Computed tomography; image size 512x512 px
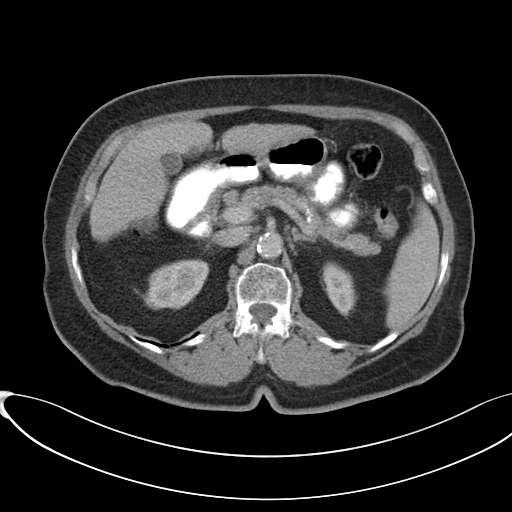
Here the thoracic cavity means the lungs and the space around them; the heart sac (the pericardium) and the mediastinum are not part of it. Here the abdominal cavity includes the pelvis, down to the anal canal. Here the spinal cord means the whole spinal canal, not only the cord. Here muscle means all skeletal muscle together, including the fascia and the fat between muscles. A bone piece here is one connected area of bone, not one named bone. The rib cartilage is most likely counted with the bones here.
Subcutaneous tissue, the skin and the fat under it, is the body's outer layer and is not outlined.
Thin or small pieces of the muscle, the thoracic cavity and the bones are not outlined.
Outlines (x, y in pixels):
muscle: 270,104 323,104 324,105 336,105 337,106 347,106 348,105 349,106 359,106 364,108 371,108 379,111 386,112 395,115 404,120 425,143 425,145 436,166 438,176 445,196 445,199 452,215 452,218 454,222 454,232 455,233 455,251 451,263 450,278 444,289 439,302 429,317 425,327 420,334 410,338 381,358 354,371 335,383 329,385 318,386 315,388 308,388 307,387 297,386 293,383 286,382 276,377 271,371 270,368 266,365 257,364 243,380 236,383 230,383 227,386 223,387 222,386 201,386 197,385 194,383 186,381 170,373 147,358 140,355 129,347 112,339 100,329 97,323 90,316 86,309 82,305 73,289 69,277 68,268 64,255 65,253 64,249 65,224 81,176 101,143 114,130 124,125 131,124 142,119 145,119 148,117 155,116 163,113 169,113 170,112 188,110 189,109 225,106 226,105 269,105 with holes at 252,109 365,120 398,136 397,123 413,137 409,147 420,147 429,170 419,172 437,195 448,264 423,307 374,352 356,341 336,349 317,340 328,334 302,311 297,277 289,309 301,325 291,325 288,337 235,337 229,280 227,310 199,332 206,333 203,341 161,346 162,353 134,342 78,281 71,247 79,250 86,187 90,179 94,193 117,151 153,126 and at 118,136 119,136 120,137 120,138 119,139 119,141 118,142 117,145 111,152 111,154 107,158 106,158 105,159 102,159 102,155 103,154 103,152 106,148 106,147 112,141 112,140 113,140 116,137 117,137 and at 261,343 262,343 262,350 263,351 263,354 264,355 264,358 265,359 265,362 264,363 259,363 257,361 257,360 256,359 256,358 257,357 257,354 258,353 258,349 259,348 259,346 260,345 260,344
bones 1: 257,262 281,267 291,282 292,293 289,309 292,317 299,321 301,325 291,325 288,330 289,336 286,338 277,334 263,339 250,333 243,333 237,337 233,335 235,324 233,314 237,308 234,291 235,284 242,271 with a hole at 254,304 268,304 269,305 271,305 272,306 273,306 276,309 276,312 269,319 269,321 267,321 264,323 260,323 259,322 258,322 257,321 254,320 254,317 249,310 250,307 252,305 253,305
bones 2: 416,144 417,144 420,147 420,148 424,155 425,160 427,162 427,163 429,166 429,170 428,171 421,171 420,170 419,170 416,167 416,165 415,164 415,157 414,156 414,152 413,151 413,148 415,146 415,145
bones 3: 394,331 398,331 399,333 398,335 395,338 395,339 393,340 390,343 376,350 374,352 368,352 367,351 367,350 371,346 372,346 374,344 375,344 377,342 378,342 380,340 384,338 387,335 388,335 390,333
bones 4: 316,335 321,335 322,336 328,336 329,337 332,338 336,341 344,341 345,342 347,342 348,343 348,345 343,348 340,348 339,349 336,349 335,348 332,348 330,346 329,346 328,345 317,340 317,339 316,338
bones 5: 442,251 447,251 448,253 448,264 447,265 447,268 445,271 445,273 444,274 444,276 443,277 443,279 442,280 441,284 436,289 435,289 435,287 438,280 439,273 440,272 440,259 441,258 441,253
bones 6: 128,333 130,333 132,335 133,335 135,337 139,339 142,339 146,341 149,341 151,343 153,343 155,345 157,345 162,349 163,352 162,353 157,353 145,347 143,347 137,344 135,342 134,342 128,336
bones 7: 72,246 74,246 77,251 78,262 79,263 79,266 81,270 81,275 82,276 82,279 83,280 83,283 82,284 81,284 78,281 77,277 76,276 76,274 74,271 74,268 72,265 72,260 71,259 71,247
bones 8: 424,182 429,182 432,185 432,186 434,188 434,189 436,192 436,194 437,195 437,201 436,202 436,203 434,205 433,204 430,203 426,199 426,198 424,195 424,193 423,192 423,189 422,188 422,185
bones 9: 393,123 397,123 398,124 399,124 400,125 403,126 407,130 407,131 413,137 413,138 414,139 414,141 412,143 408,143 404,139 403,139 403,138 398,133 398,132 397,131 397,130 395,128 395,127 394,126
bones 10: 199,333 206,333 206,336 204,338 203,341 202,341 197,344 195,344 194,345 192,345 191,346 186,346 185,345 182,345 181,344 181,343 182,342 187,340 189,338 190,338 191,337 193,337 195,335 196,335
bones 11: 118,136 119,136 120,137 120,138 119,139 119,141 118,142 117,145 111,152 111,154 107,158 106,158 105,159 102,159 102,155 103,154 103,152 106,148 106,147 112,141 112,140 113,140 116,137 117,137
abdominal cavity: 252,109 370,121 412,150 423,195 441,225 439,272 423,307 372,345 329,336 302,311 299,279 292,284 281,266 263,261 246,266 234,288 225,284 225,312 169,346 122,329 92,301 78,227 114,154 153,126
thoracic cavity: 151,342 154,342 155,343 156,343 157,344 159,344 160,345 163,345 164,346 166,346 159,346 157,344 155,344 153,342
spinal cord: 254,304 268,304 269,305 271,305 272,306 273,306 276,309 276,312 269,319 269,321 267,321 264,323 260,323 259,322 258,322 257,321 254,320 254,317 249,310 250,307 252,305 253,305
torso: 271,73 332,73 385,84 420,101 442,126 474,213 465,330 456,355 440,372 416,386 334,410 296,415 275,411 264,396 248,411 199,410 102,381 60,340 42,293 43,209 66,146 94,110 126,92 189,77